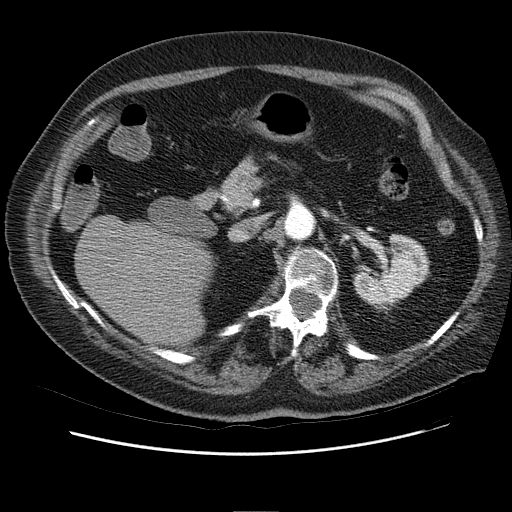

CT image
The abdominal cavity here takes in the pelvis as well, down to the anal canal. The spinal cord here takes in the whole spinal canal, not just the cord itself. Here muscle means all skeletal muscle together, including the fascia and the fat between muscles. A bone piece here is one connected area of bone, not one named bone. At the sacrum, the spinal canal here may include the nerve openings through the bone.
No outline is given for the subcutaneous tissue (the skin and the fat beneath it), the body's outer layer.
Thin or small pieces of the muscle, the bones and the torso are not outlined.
Outlines (x, y in pixels):
bones 1: (297, 246) (314, 247) (324, 252) (335, 264) (338, 285) (326, 307) (328, 331) (321, 336) (307, 333) (297, 347) (297, 355) (293, 357) (290, 353) (293, 338) (287, 328) (271, 327) (267, 316) (249, 318) (247, 312) (269, 305) (281, 297) (284, 290) (283, 268) (288, 255); inner edge: (298, 288) (300, 289) (303, 289) (303, 290) (307, 293) (314, 294) (320, 300) (319, 307) (317, 309) (314, 310) (311, 313) (311, 316) (303, 320) (300, 320) (297, 317) (297, 316) (294, 313) (294, 310) (290, 303) (290, 294) (292, 290) (294, 289) (297, 289)
bones 2: (378, 87) (386, 88) (389, 90) (392, 90) (395, 92) (397, 92) (402, 95) (405, 95) (415, 102) (425, 115) (425, 117) (431, 129) (431, 134) (432, 135) (433, 143) (430, 148) (424, 147) (420, 142) (419, 130) (414, 117) (402, 106) (380, 93) (377, 89)
bones 3: (48, 263) (52, 266) (59, 278) (63, 282) (66, 288) (69, 290) (70, 293) (75, 299) (79, 302) (82, 300) (87, 302) (97, 312) (100, 318) (105, 324) (106, 328) (103, 328) (83, 307) (75, 308) (65, 299) (50, 273) (50, 271) (48, 268)
bones 4: (146, 346) (147, 347) (149, 346) (154, 346) (161, 349) (170, 349) (175, 351) (179, 351) (189, 355) (192, 355) (195, 357) (195, 359) (193, 361) (186, 363) (185, 364) (179, 364) (178, 363) (170, 361) (155, 353) (153, 353) (150, 350) (147, 349) (145, 347)
bones 5: (62, 159) (63, 159) (63, 163) (61, 167) (58, 170) (58, 172) (61, 178) (60, 179) (60, 181) (61, 182) (61, 206) (59, 210) (56, 212) (54, 211) (52, 207) (52, 195) (53, 194) (53, 185) (54, 184) (54, 178) (58, 170) (58, 165) (59, 164) (59, 162)
bones 6: (344, 342) (349, 342) (352, 344) (357, 345) (360, 348) (368, 352) (370, 352) (371, 353) (379, 355) (380, 357) (378, 359) (359, 359) (358, 358) (355, 358) (354, 357) (352, 357) (350, 356) (346, 352) (345, 348) (344, 347) (344, 345) (343, 344)
bones 7: (456, 310) (458, 310) (459, 311) (459, 313) (457, 317) (452, 323) (452, 324) (442, 334) (442, 335) (431, 345) (427, 347) (424, 347) (422, 346) (422, 345) (432, 335) (432, 334) (433, 334) (438, 329) (438, 328) (439, 328) (440, 326)
bones 8: (238, 322) (244, 322) (245, 323) (245, 325) (243, 327) (241, 331) (237, 333) (235, 333) (232, 335) (226, 335) (225, 336) (217, 336) (216, 335) (216, 333) (221, 328) (222, 328) (224, 326) (226, 326) (227, 325) (229, 325) (233, 323) (237, 323)
bones 9: (441, 159) (443, 159) (446, 161) (448, 165) (448, 167) (449, 168) (449, 171) (450, 172) (450, 174) (451, 175) (452, 180) (453, 181) (452, 183) (448, 185) (442, 180) (442, 178) (441, 177) (441, 172) (439, 168) (439, 162)
bones 10: (475, 216) (477, 216) (479, 218) (480, 222) (481, 223) (481, 225) (482, 226) (482, 229) (483, 230) (483, 237) (482, 238) (482, 241) (481, 243) (478, 243) (477, 239) (476, 238) (476, 236) (475, 235) (475, 231) (474, 230) (474, 226) (473, 225) (473, 220)
bones 11: (92, 118) (96, 118) (97, 119) (97, 122) (91, 128) (91, 130) (89, 131) (86, 131) (85, 133) (83, 134) (83, 135) (81, 137) (81, 140) (80, 140) (77, 137) (78, 135) (79, 135) (80, 134) (80, 132) (82, 131) (85, 124) (90, 119)
muscle 1: (252, 64) (297, 65) (342, 73) (376, 76) (403, 86) (419, 99) (426, 110) (426, 116) (433, 131) (439, 132) (475, 170) (489, 194) (488, 197) (492, 201) (497, 228) (500, 233) (500, 243) (498, 247) (500, 253) (498, 256) (497, 268) (493, 274) (494, 277) (490, 280) (489, 286) (485, 288) (483, 299) (481, 300) (483, 315) (481, 316) (479, 327) (465, 336) (461, 336) (455, 343) (436, 353) (436, 357) (431, 357) (427, 361) (414, 366) (381, 385) (358, 392) (340, 394) (331, 397) (316, 395) (310, 393) (295, 380) (290, 378) (287, 380) (277, 374) (270, 377) (262, 383) (259, 388) (250, 393) (238, 395) (214, 395) (191, 390) (153, 374) (148, 374) (142, 369) (129, 365) (128, 363) (102, 350) (86, 338) (82, 333) (81, 327) (77, 324) (78, 320) (73, 314) (60, 303) (53, 302) (51, 300) (48, 295) (50, 291) (36, 276) (31, 273) (32, 270) (25, 249) (24, 215) (27, 212) (30, 201) (29, 198) (32, 195) (32, 192) (37, 183) (42, 179) (44, 172) (56, 155) (63, 141) (68, 136) (67, 133) (70, 126) (78, 114) (92, 100) (104, 92) (132, 80) (209, 66) with holes at (250, 68) (344, 87) (357, 102) (404, 124) (419, 142) (414, 117) (377, 88) (407, 96) (425, 115) (433, 143) (426, 148) (420, 142) (423, 153) (440, 178) (439, 162) (446, 161) (453, 182) (444, 185) (472, 220) (479, 218) (483, 230) (475, 275) (459, 313) (431, 345) (422, 346) (426, 338) (378, 359) (350, 356) (344, 342) (359, 344) (341, 311) (339, 273) (326, 307) (328, 331) (321, 336) (307, 333) (295, 357) (287, 328) (271, 327) (265, 315) (247, 316) (281, 297) (280, 275) (234, 320) (245, 323) (241, 331) (214, 336) (192, 351) (195, 359) (185, 364) (153, 353) (100, 314) (103, 328) (63, 296) (48, 268) (53, 265) (50, 237) (58, 212) (52, 195) (59, 162) (62, 194) (74, 164) (107, 132) (134, 92) and at (92, 118) (96, 118) (97, 119) (97, 122) (91, 128) (91, 130) (89, 131) (86, 131) (85, 133) (83, 134) (83, 135) (81, 137) (81, 140) (80, 140) (77, 137) (78, 135) (79, 135) (80, 134) (80, 132) (82, 131) (85, 124) (90, 119)
muscle 2: (65, 284) (72, 291) (73, 291) (78, 296) (79, 296) (82, 299) (81, 300) (80, 300) (79, 301) (78, 300) (77, 300) (76, 299) (76, 298) (71, 293) (71, 292) (70, 291) (70, 290) (68, 288) (67, 288) (67, 287) (65, 285)
torso: (246, 29) (326, 37) (393, 58) (421, 76) (482, 136) (503, 190) (511, 238) (505, 312) (482, 372) (401, 406) (358, 415) (210, 421) (154, 407) (98, 378) (66, 355) (29, 314) (8, 265) (5, 206) (16, 170) (62, 103) (92, 71) (126, 51) (179, 35)
abdominal cavity: (250, 68) (344, 87) (357, 102) (404, 124) (467, 208) (477, 242) (475, 275) (461, 304) (428, 338) (381, 355) (360, 347) (341, 311) (336, 264) (314, 246) (295, 246) (282, 276) (189, 354) (130, 337) (56, 272) (50, 237) (68, 177) (107, 132) (122, 103) (134, 92)
spinal cord: (298, 288) (300, 289) (303, 289) (303, 290) (307, 293) (314, 294) (320, 300) (319, 307) (317, 309) (314, 310) (311, 313) (311, 316) (303, 320) (300, 320) (297, 317) (297, 316) (294, 313) (294, 310) (290, 303) (290, 294) (292, 290) (294, 289) (297, 289)